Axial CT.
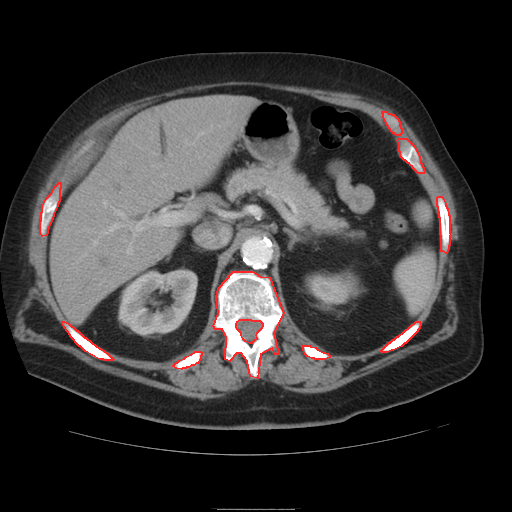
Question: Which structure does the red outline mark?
Answer: red: bones.
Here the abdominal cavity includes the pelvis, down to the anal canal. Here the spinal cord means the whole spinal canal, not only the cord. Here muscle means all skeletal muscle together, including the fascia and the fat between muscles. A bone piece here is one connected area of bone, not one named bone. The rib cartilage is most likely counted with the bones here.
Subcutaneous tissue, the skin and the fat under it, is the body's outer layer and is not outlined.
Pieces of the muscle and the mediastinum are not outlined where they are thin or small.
{"bones":[{"outer":[[233,271],[252,271],[260,276],[269,277],[283,313],[273,332],[278,354],[275,354],[272,348],[260,354],[257,378],[250,376],[247,361],[241,353],[236,353],[229,361],[225,359],[226,336],[222,329],[215,329],[213,326],[218,313],[216,297],[218,288]],"hole":[[240,319],[250,319],[251,320],[259,320],[262,323],[262,326],[261,328],[256,333],[255,335],[256,337],[256,339],[254,340],[251,343],[249,343],[245,341],[243,339],[241,335],[241,333],[237,329],[236,327],[236,323],[237,321]]},[[59,182],[60,182],[60,188],[59,189],[59,201],[57,204],[57,206],[53,214],[52,219],[48,226],[48,228],[47,229],[47,233],[46,235],[42,236],[40,232],[40,221],[41,220],[41,212],[42,211],[42,206],[46,198],[51,193],[55,186]],[[62,321],[64,321],[68,323],[76,330],[77,330],[84,337],[85,337],[96,346],[106,352],[111,357],[112,357],[113,359],[112,360],[104,360],[103,359],[99,359],[85,351],[80,346],[79,346],[70,336],[70,335],[64,327],[62,323]],[[438,196],[441,196],[442,197],[445,203],[445,205],[447,208],[448,214],[449,215],[449,233],[450,235],[449,236],[449,245],[448,246],[448,249],[446,253],[443,251],[441,251],[440,218],[439,217],[439,212],[438,211],[438,207],[437,206],[437,197]],[[398,138],[406,138],[413,145],[419,156],[420,162],[423,167],[423,169],[424,170],[424,172],[423,173],[418,173],[412,167],[412,166],[410,165],[409,163],[408,163],[405,160],[404,160],[400,156],[400,152],[399,151],[399,144],[397,140]],[[416,321],[419,321],[420,323],[419,328],[417,330],[417,331],[405,343],[404,343],[401,346],[393,350],[391,350],[387,352],[382,352],[381,351],[381,350],[389,342],[390,342],[393,339],[394,339],[397,336],[398,336]],[[195,351],[200,351],[201,352],[201,355],[200,356],[200,359],[197,363],[196,363],[193,365],[191,365],[188,367],[186,367],[185,368],[182,368],[181,369],[176,368],[173,366],[173,365],[176,362],[177,362],[179,360],[184,358],[186,356],[191,354]],[[382,111],[385,111],[388,113],[390,113],[391,114],[393,114],[398,119],[398,120],[399,121],[399,125],[401,128],[401,133],[399,135],[396,135],[394,133],[393,133],[388,127],[388,126],[387,125],[387,124],[383,117],[383,114],[382,113]],[[303,345],[309,345],[310,346],[315,347],[317,349],[323,352],[325,352],[327,353],[329,355],[329,357],[325,359],[315,359],[314,358],[311,358],[307,356],[305,354],[303,350],[303,348],[302,347]]],"spinal_cord":[[[240,319],[250,319],[251,320],[259,320],[262,323],[262,326],[261,328],[256,333],[255,335],[256,337],[256,339],[254,340],[251,343],[249,343],[245,341],[243,339],[241,335],[241,333],[237,329],[236,327],[236,323],[237,321]]],"mediastinum":[[[254,236],[264,236],[272,243],[273,248],[272,272],[279,296],[280,305],[275,288],[272,283],[272,279],[267,275],[260,275],[252,270],[233,270],[219,284],[215,294],[216,298],[216,302],[215,302],[215,288],[221,272],[231,260],[239,245],[246,238]]],"muscle":[{"outer":[[225,81],[268,82],[361,94],[385,103],[401,114],[436,162],[450,188],[455,203],[456,220],[459,223],[458,230],[460,232],[460,246],[457,255],[454,280],[455,301],[459,317],[457,328],[451,336],[423,350],[409,354],[404,358],[377,371],[362,376],[329,391],[317,393],[301,393],[286,390],[281,386],[271,382],[263,383],[260,380],[253,380],[245,387],[234,391],[225,397],[211,398],[205,400],[181,395],[116,376],[99,370],[64,350],[43,344],[22,342],[17,338],[15,335],[16,314],[22,301],[27,295],[28,289],[34,283],[34,269],[28,262],[27,250],[33,207],[40,187],[50,172],[52,165],[62,151],[78,134],[95,120],[125,103],[146,96],[186,86]],"holes":[[[224,86],[311,96],[360,110],[390,132],[382,111],[398,119],[401,133],[392,134],[415,148],[424,170],[417,174],[436,206],[442,197],[450,234],[419,328],[401,346],[311,358],[303,345],[322,348],[285,308],[273,332],[278,354],[264,350],[253,378],[241,353],[225,359],[214,300],[193,345],[167,360],[108,351],[112,360],[99,359],[70,336],[48,279],[44,201],[59,182],[62,198],[128,115],[164,98]],[[195,351],[200,351],[201,352],[201,355],[200,356],[200,359],[197,363],[196,363],[193,365],[191,365],[188,367],[186,367],[185,368],[182,368],[181,369],[176,368],[173,366],[173,365],[176,362],[177,362],[179,360],[184,358],[186,356],[191,354]]]}],"torso":[[[215,51],[293,51],[351,59],[391,73],[419,97],[467,180],[481,216],[484,349],[471,374],[415,400],[360,413],[342,422],[238,430],[184,427],[136,417],[28,373],[6,313],[0,242],[10,202],[39,142],[76,97],[108,75],[158,57]]],"abdominal_cavity":[[[224,86],[283,90],[357,109],[394,136],[399,156],[437,207],[440,250],[423,311],[386,344],[338,354],[306,336],[281,305],[273,243],[264,235],[238,245],[220,272],[203,330],[170,359],[105,351],[62,313],[46,247],[64,194],[128,115],[164,98]]]}